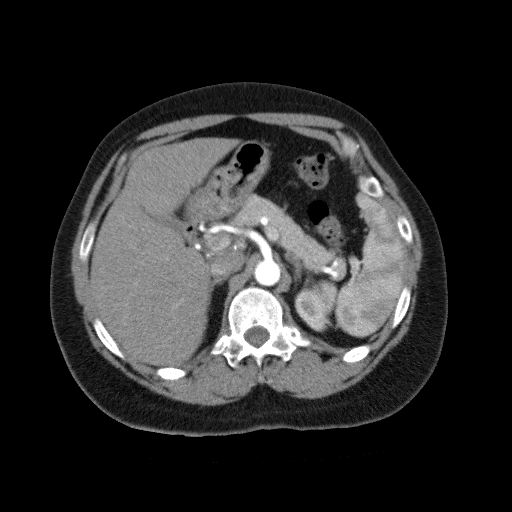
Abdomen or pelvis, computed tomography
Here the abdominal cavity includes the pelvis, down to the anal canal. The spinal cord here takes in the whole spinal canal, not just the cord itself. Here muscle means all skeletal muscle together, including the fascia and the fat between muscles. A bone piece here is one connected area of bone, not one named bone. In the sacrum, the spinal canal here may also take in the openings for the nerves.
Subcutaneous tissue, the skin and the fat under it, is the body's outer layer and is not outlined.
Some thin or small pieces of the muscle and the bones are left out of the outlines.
{"torso":[[[232,81],[305,88],[355,108],[376,127],[432,211],[447,273],[448,315],[442,351],[425,385],[390,416],[342,428],[173,435],[132,428],[110,417],[86,396],[68,370],[51,322],[50,265],[60,222],[93,151],[115,125],[142,107],[185,90]]],"bones":[{"outer":[[250,286],[272,293],[281,304],[283,323],[297,327],[301,334],[313,343],[298,346],[285,362],[277,355],[267,354],[260,366],[251,355],[242,358],[236,367],[232,367],[222,354],[211,354],[211,346],[223,334],[230,332],[228,309],[233,297],[240,290]],"hole":[[253,327],[262,327],[264,328],[268,332],[268,334],[269,335],[268,336],[268,338],[262,344],[261,344],[259,346],[254,346],[252,344],[248,342],[245,339],[244,337],[244,335],[245,333],[249,329]]},[[96,317],[99,318],[102,324],[104,326],[105,329],[108,332],[108,333],[117,344],[119,349],[124,355],[124,358],[123,359],[118,357],[112,352],[111,352],[103,344],[103,343],[98,337],[94,329],[94,327],[93,326],[93,320]],[[91,221],[95,222],[96,224],[96,229],[95,230],[95,234],[93,238],[93,242],[91,245],[91,248],[89,251],[87,260],[86,261],[83,261],[79,258],[79,247],[80,246],[80,243],[81,242],[81,240],[82,239],[84,231],[87,225]],[[404,286],[407,286],[410,289],[410,299],[409,300],[409,305],[408,306],[407,311],[401,321],[396,327],[392,327],[392,321],[393,320],[393,317],[394,316],[394,312],[395,311],[395,309],[396,308],[398,300],[400,297],[400,295],[402,292],[402,290]],[[359,175],[361,176],[363,176],[364,175],[365,176],[368,176],[369,175],[373,175],[375,177],[376,177],[380,182],[380,184],[384,191],[384,194],[383,196],[381,197],[378,197],[375,195],[374,197],[373,196],[371,196],[369,195],[360,184],[359,182]],[[363,344],[369,344],[370,346],[370,350],[368,354],[365,357],[355,362],[346,362],[342,359],[342,356],[345,352],[346,352],[348,350],[349,350],[353,347],[355,347],[359,345],[362,345]],[[399,214],[401,214],[405,216],[405,217],[407,219],[410,225],[410,227],[411,228],[411,232],[412,233],[412,238],[413,239],[411,243],[407,243],[400,234],[400,232],[398,229],[398,227],[396,223],[396,218]],[[161,367],[174,367],[175,368],[181,368],[182,369],[183,369],[186,372],[186,374],[184,376],[183,376],[182,377],[180,377],[179,378],[178,378],[177,379],[164,379],[163,378],[162,378],[159,375],[158,375],[156,373],[156,370],[158,368],[160,368]],[[339,133],[341,134],[343,134],[346,136],[349,136],[351,137],[356,142],[357,142],[359,144],[359,147],[356,150],[356,151],[354,152],[354,153],[352,153],[351,151],[344,151],[343,149],[343,143],[342,142],[342,138],[339,134]]],"spinal_cord":[[[253,327],[262,327],[264,328],[268,332],[268,334],[269,335],[268,336],[268,338],[262,344],[261,344],[259,346],[254,346],[252,344],[248,342],[245,339],[244,337],[244,335],[245,333],[249,329]]],"abdominal_cavity":[[[234,118],[286,126],[323,141],[388,211],[403,239],[404,285],[393,316],[372,341],[349,349],[330,345],[300,330],[280,296],[250,285],[224,303],[222,325],[210,346],[182,367],[156,368],[120,349],[98,317],[88,258],[97,226],[133,157]]],"muscle":[{"outer":[[255,112],[308,113],[309,114],[315,114],[316,115],[331,117],[351,126],[365,140],[374,157],[389,174],[396,184],[399,190],[400,195],[408,206],[408,208],[412,214],[420,234],[423,255],[420,269],[417,272],[418,276],[417,288],[416,289],[417,294],[416,295],[415,307],[413,311],[413,315],[409,324],[409,328],[402,339],[379,361],[376,366],[370,372],[355,384],[333,394],[324,397],[313,398],[312,399],[309,398],[298,398],[290,396],[284,392],[277,391],[268,385],[264,384],[263,385],[254,386],[249,392],[236,401],[223,404],[200,405],[199,404],[192,404],[178,400],[174,400],[164,395],[150,390],[147,387],[138,383],[125,375],[118,368],[112,365],[103,357],[92,345],[83,322],[82,306],[78,303],[74,293],[73,277],[71,274],[71,254],[72,253],[71,251],[72,250],[72,246],[76,236],[79,223],[82,217],[83,208],[88,195],[95,181],[101,173],[107,162],[122,144],[132,140],[138,134],[147,129],[174,120],[179,120],[187,117],[194,117],[206,114],[239,114],[240,113],[254,113]],"holes":[[[234,118],[286,126],[323,141],[361,176],[378,179],[384,194],[374,197],[396,227],[399,214],[407,219],[413,239],[403,240],[409,305],[396,327],[392,317],[368,343],[362,359],[346,362],[347,349],[301,330],[313,343],[298,346],[285,362],[267,354],[259,366],[248,355],[232,367],[209,346],[181,368],[184,376],[164,379],[124,351],[124,358],[118,357],[98,337],[88,261],[79,258],[87,225],[98,225],[134,156]],[[339,133],[341,134],[343,134],[346,136],[349,136],[351,137],[356,142],[357,142],[359,144],[359,147],[356,150],[356,151],[354,152],[354,153],[352,153],[351,151],[344,151],[343,149],[343,143],[342,142],[342,138],[339,134]]]},[[276,296],[280,297],[287,304],[287,305],[289,307],[291,311],[291,318],[292,319],[292,321],[295,324],[295,325],[293,324],[286,324],[284,323],[284,321],[283,320],[283,316],[284,315],[284,310],[283,309],[283,307],[282,306],[281,302]],[[228,301],[230,301],[228,305],[228,308],[227,309],[227,322],[228,323],[228,328],[229,329],[229,332],[228,333],[223,333],[218,338],[218,336],[220,333],[220,331],[223,325],[223,308],[224,307],[224,305],[225,303]]]}